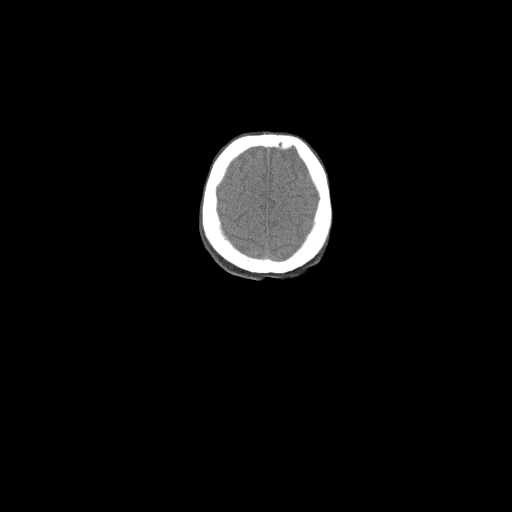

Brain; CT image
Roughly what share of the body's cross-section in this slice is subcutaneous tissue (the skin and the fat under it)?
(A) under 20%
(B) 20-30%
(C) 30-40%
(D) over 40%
(A) under 20%
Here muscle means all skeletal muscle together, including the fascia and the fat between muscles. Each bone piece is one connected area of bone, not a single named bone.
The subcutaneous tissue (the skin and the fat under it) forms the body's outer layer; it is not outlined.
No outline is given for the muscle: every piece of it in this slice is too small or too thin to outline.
head: [[249,130],[281,130],[301,136],[319,154],[329,178],[333,223],[328,249],[321,262],[308,273],[293,279],[266,279],[262,281],[256,281],[229,274],[212,260],[202,247],[198,236],[198,206],[202,194],[202,187],[212,159],[218,149],[231,138],[239,133]]
brain: [[255,147],[277,148],[282,150],[293,148],[305,166],[310,180],[317,193],[317,202],[309,230],[300,245],[290,255],[283,259],[273,259],[270,257],[256,257],[248,255],[232,243],[222,228],[222,222],[218,211],[218,186],[224,179],[230,164],[241,154]]
bones: [[264,132],[292,134],[298,136],[310,146],[323,164],[327,173],[333,210],[330,233],[320,251],[303,265],[283,273],[251,272],[239,268],[226,261],[212,248],[206,239],[200,220],[203,189],[210,167],[215,157],[224,146],[234,138],[243,134],[259,134]] with a hole at [[255,147],[277,148],[282,150],[293,148],[305,166],[310,180],[317,193],[317,202],[309,230],[300,245],[290,255],[283,259],[273,259],[270,257],[256,257],[248,255],[232,243],[222,228],[222,222],[218,211],[218,186],[224,179],[230,164],[241,154]]